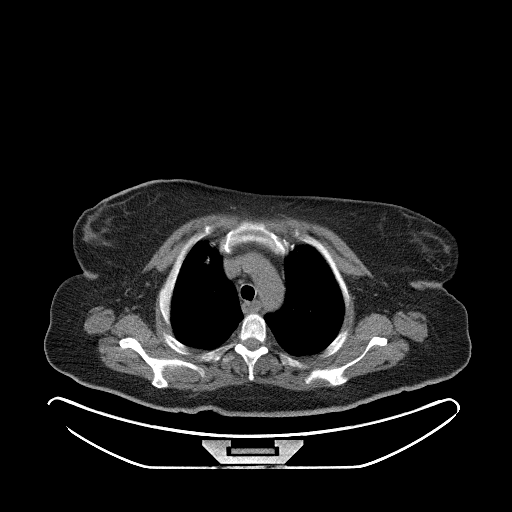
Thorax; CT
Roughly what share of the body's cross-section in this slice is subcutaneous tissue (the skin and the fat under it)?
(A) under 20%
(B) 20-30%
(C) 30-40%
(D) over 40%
Answer: (D) over 40%
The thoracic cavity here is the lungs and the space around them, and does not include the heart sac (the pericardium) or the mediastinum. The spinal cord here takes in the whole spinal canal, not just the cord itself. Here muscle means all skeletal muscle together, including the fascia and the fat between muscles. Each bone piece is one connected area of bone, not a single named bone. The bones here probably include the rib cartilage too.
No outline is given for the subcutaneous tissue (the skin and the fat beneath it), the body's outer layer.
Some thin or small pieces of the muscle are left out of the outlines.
{"spinal_cord":[[[249,338],[254,338],[255,339],[256,339],[259,342],[259,345],[256,348],[255,348],[254,349],[249,349],[244,344],[244,342],[247,339],[248,339]]],"muscle":[{"outer":[[215,212],[245,213],[254,217],[274,216],[281,213],[329,228],[350,247],[373,275],[373,278],[366,275],[361,276],[350,283],[351,291],[355,297],[357,318],[360,319],[373,312],[390,317],[398,310],[418,311],[424,314],[427,319],[427,337],[420,343],[414,343],[407,355],[396,365],[359,375],[349,380],[344,375],[347,368],[362,359],[371,347],[385,346],[388,343],[385,336],[374,335],[369,339],[361,353],[353,359],[339,366],[311,369],[304,378],[307,385],[315,379],[321,379],[333,387],[310,390],[292,390],[255,382],[228,385],[198,392],[190,389],[168,388],[169,383],[163,374],[166,367],[186,367],[196,371],[201,377],[205,375],[204,369],[189,360],[152,356],[133,336],[121,337],[118,340],[118,345],[122,349],[129,348],[135,351],[150,367],[152,371],[150,384],[142,377],[115,371],[105,366],[99,358],[95,339],[83,329],[87,312],[92,307],[102,305],[111,308],[117,315],[135,313],[149,322],[154,312],[153,306],[158,282],[151,271],[142,273],[143,267],[165,239],[180,225],[194,217]],"hole":[[243,220],[262,222],[298,245],[303,243],[292,233],[297,229],[330,253],[349,294],[339,329],[348,334],[336,352],[292,355],[307,365],[297,368],[281,363],[278,352],[285,351],[273,340],[273,349],[253,365],[250,381],[247,364],[232,349],[226,362],[201,361],[197,355],[205,349],[190,346],[181,354],[165,342],[163,333],[174,332],[160,311],[159,291],[181,247],[205,225],[215,225],[203,239],[213,241]]}],"bones":[{"outer":[[250,313],[256,313],[263,317],[273,345],[273,349],[261,355],[253,365],[252,381],[248,378],[248,366],[244,359],[232,349],[226,353],[231,354],[233,357],[226,362],[221,359],[216,361],[201,361],[197,358],[198,354],[228,342],[238,329],[244,316]],"hole":[[249,338],[254,338],[255,339],[256,339],[259,342],[259,345],[256,348],[255,348],[254,349],[249,349],[244,344],[244,342],[247,339],[248,339]]},[[243,220],[250,220],[264,223],[267,229],[279,237],[285,238],[289,242],[294,243],[295,246],[293,250],[286,255],[280,255],[261,243],[255,241],[248,241],[234,245],[229,252],[220,253],[215,246],[210,245],[210,241],[218,240],[231,229],[235,228]],[[208,224],[209,225],[215,225],[214,229],[207,236],[198,241],[190,249],[179,270],[171,296],[170,316],[169,317],[170,318],[170,326],[169,326],[165,322],[159,307],[159,291],[160,288],[172,267],[176,256],[183,244],[192,235],[201,231],[204,226]],[[124,337],[135,338],[146,353],[152,357],[177,358],[189,361],[203,369],[204,375],[201,376],[196,370],[186,366],[166,366],[162,374],[168,383],[167,387],[155,387],[151,384],[153,378],[151,367],[135,350],[129,347],[122,348],[119,345],[119,340]],[[374,336],[385,337],[387,343],[385,345],[375,344],[371,346],[362,358],[347,367],[343,372],[343,375],[348,379],[345,383],[333,386],[321,378],[315,378],[308,384],[305,382],[305,378],[311,370],[315,368],[339,367],[353,360],[362,353],[370,339]],[[294,229],[297,229],[302,233],[306,233],[313,236],[317,239],[330,253],[341,276],[345,282],[349,294],[349,303],[346,311],[345,311],[345,305],[341,293],[341,290],[329,265],[322,255],[313,246],[301,242],[299,239],[293,235],[292,231]],[[344,329],[347,329],[348,330],[348,334],[347,335],[347,337],[345,341],[342,344],[341,347],[336,352],[335,352],[333,354],[331,355],[329,355],[324,358],[322,358],[320,356],[320,353],[336,337],[338,333],[341,330],[343,330]],[[164,332],[166,332],[168,334],[170,334],[174,336],[174,337],[177,340],[178,340],[183,344],[188,346],[189,347],[189,353],[188,354],[181,354],[177,352],[172,348],[171,348],[165,342],[164,340],[164,337],[163,336],[163,333]],[[278,352],[285,352],[287,353],[293,358],[295,359],[297,359],[305,363],[307,365],[307,367],[306,368],[297,368],[296,367],[293,367],[289,365],[283,365],[281,363],[279,359],[279,357],[278,356]]],"torso":[[[160,178],[187,178],[265,194],[382,201],[443,225],[459,246],[456,272],[443,286],[467,311],[471,341],[467,365],[449,379],[350,409],[287,417],[164,411],[84,386],[57,371],[46,359],[43,342],[56,289],[81,272],[72,249],[77,218],[111,194]]],"thoracic_cavity":[[[295,244],[309,245],[321,255],[328,265],[340,290],[344,305],[343,321],[335,337],[320,352],[310,355],[298,356],[290,355],[272,339],[272,336],[264,318],[266,314],[274,313],[279,310],[284,303],[286,294],[284,259],[290,252],[294,250],[296,246]],[[202,240],[209,241],[209,245],[211,247],[215,247],[221,255],[223,272],[235,288],[239,306],[243,315],[237,329],[231,335],[231,337],[225,343],[209,350],[191,347],[177,339],[174,335],[171,326],[170,317],[172,296],[182,265],[191,249]]],"mediastinum":[[[248,242],[255,242],[261,244],[277,255],[285,256],[283,259],[283,269],[285,278],[285,294],[283,303],[280,308],[276,311],[268,312],[263,316],[256,312],[250,312],[245,315],[243,314],[236,288],[226,276],[223,268],[221,254],[229,253],[234,246]]]}